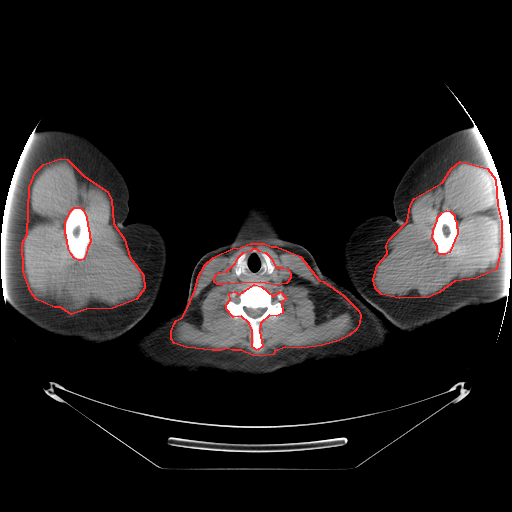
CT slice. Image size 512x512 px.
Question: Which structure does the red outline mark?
Answer: red: muscle.
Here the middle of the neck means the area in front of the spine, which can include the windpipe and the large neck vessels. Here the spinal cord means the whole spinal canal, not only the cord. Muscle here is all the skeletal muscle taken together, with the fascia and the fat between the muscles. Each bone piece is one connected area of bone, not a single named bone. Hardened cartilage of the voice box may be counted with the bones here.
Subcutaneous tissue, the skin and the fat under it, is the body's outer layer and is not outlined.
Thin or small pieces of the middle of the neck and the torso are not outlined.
The muscle appears in 3 outlined pieces: piece 1: [[60,158],[67,159],[84,176],[107,191],[111,200],[113,223],[124,239],[129,256],[143,275],[144,288],[136,299],[112,308],[86,309],[71,314],[60,307],[54,307],[36,299],[30,291],[23,271],[22,242],[27,234],[29,187],[35,172],[43,164]]; inner edge: [[74,207],[80,207],[83,210],[86,217],[88,230],[89,231],[89,237],[90,238],[90,242],[87,247],[86,253],[83,259],[81,260],[78,260],[74,258],[71,254],[68,248],[66,235],[65,234],[65,222],[70,211]]; piece 2: [[250,243],[264,243],[271,246],[276,246],[300,256],[319,280],[323,281],[343,295],[358,310],[360,315],[359,323],[356,329],[349,335],[339,340],[322,345],[301,348],[285,347],[274,351],[273,354],[260,356],[252,355],[241,350],[232,350],[227,348],[221,350],[212,350],[186,347],[174,343],[171,339],[171,331],[174,323],[176,320],[182,317],[188,306],[195,289],[198,276],[205,264],[213,257],[234,247],[237,248]]; inner edges: [[254,284],[261,286],[273,296],[280,291],[286,298],[281,302],[282,313],[276,316],[269,315],[260,323],[259,331],[262,346],[257,350],[252,347],[252,330],[249,323],[241,316],[233,317],[226,309],[226,304],[230,299],[229,293],[234,291],[239,294]], then [[253,248],[256,248],[258,250],[265,252],[271,258],[275,267],[283,267],[288,269],[290,273],[290,278],[286,283],[276,285],[260,282],[223,284],[217,284],[214,282],[214,277],[216,274],[219,272],[226,271],[235,263],[238,257],[243,252],[251,250]]; piece 3: [[460,161],[487,168],[495,179],[497,205],[501,221],[501,245],[496,269],[476,278],[454,281],[439,292],[428,297],[399,298],[381,294],[375,288],[373,279],[377,265],[387,253],[386,245],[389,239],[407,221],[410,205],[414,198],[442,182],[451,168]]; inner edge: [[446,210],[450,211],[454,215],[454,218],[456,223],[456,227],[457,228],[457,233],[449,252],[445,254],[439,254],[437,250],[437,246],[432,238],[432,234],[433,233],[433,230],[437,220],[437,217],[441,213],[441,212]]. The torso is outlined by [[333,280],[363,301],[382,320],[391,334],[385,348],[368,355],[317,364],[303,363],[267,374],[242,375],[166,371],[147,365],[130,354],[131,344],[139,334],[179,309],[186,299],[194,322],[232,356],[245,362],[265,360],[288,348],[318,322],[329,303]]. The bones appear in 5 outlined pieces: piece 1: [[254,284],[261,286],[273,296],[280,291],[286,298],[281,302],[282,313],[276,316],[269,315],[260,323],[259,331],[262,346],[257,350],[252,347],[252,330],[249,323],[241,316],[233,317],[226,309],[226,304],[230,299],[229,293],[234,291],[239,294]], around a hole outlined by [[245,307],[246,307],[247,308],[252,308],[253,309],[256,309],[257,308],[265,308],[265,310],[264,311],[264,312],[261,315],[260,315],[259,316],[258,316],[257,317],[252,317],[251,316],[250,316],[244,310],[244,308]]; piece 2: [[74,207],[80,207],[83,210],[86,217],[88,230],[89,231],[89,237],[90,238],[90,242],[87,247],[86,253],[83,259],[81,260],[78,260],[74,258],[71,254],[68,248],[66,235],[65,234],[65,222],[70,211]]; piece 3: [[446,210],[450,211],[454,215],[454,218],[456,223],[456,227],[457,228],[457,233],[449,252],[445,254],[439,254],[437,250],[437,246],[432,238],[432,234],[433,233],[433,230],[437,220],[437,217],[441,213],[441,212]]; piece 4: [[243,253],[245,255],[245,256],[243,258],[243,261],[241,264],[241,267],[243,270],[243,272],[242,272],[238,276],[235,274],[235,272],[234,271],[234,267],[236,265],[236,263],[237,262],[237,259],[238,258],[238,257],[241,254],[242,254]]; piece 5: [[262,253],[266,253],[269,256],[269,257],[270,258],[270,260],[271,261],[271,262],[274,265],[274,266],[275,267],[275,268],[274,269],[274,270],[271,273],[268,273],[266,271],[266,263],[265,262],[265,259],[264,258],[264,257],[262,255]]. The right arm is outlined by [[35,128],[37,131],[49,128],[69,129],[95,142],[115,163],[127,183],[129,211],[124,222],[128,224],[140,220],[151,223],[165,239],[167,265],[155,303],[132,328],[111,342],[89,344],[48,333],[20,315],[3,298],[0,245],[3,216],[15,169]]. The middle of the neck is outlined by [[253,248],[265,252],[262,252],[261,255],[268,274],[271,274],[276,267],[288,269],[290,278],[286,283],[276,285],[260,282],[223,284],[214,282],[216,274],[226,271],[236,260],[233,267],[234,274],[238,277],[243,273],[242,264],[246,256],[243,252]]. The spinal cord is outlined by [[245,307],[246,307],[247,308],[252,308],[253,309],[256,309],[257,308],[265,308],[265,310],[264,311],[264,312],[261,315],[260,315],[259,316],[258,316],[257,317],[252,317],[251,316],[250,316],[244,310],[244,308]]. The head and neck is outlined by [[252,208],[260,208],[264,216],[284,239],[299,244],[310,252],[321,271],[332,279],[332,289],[323,314],[305,334],[272,356],[257,361],[245,361],[232,355],[221,343],[195,322],[190,313],[187,296],[192,271],[198,260],[208,251],[229,242],[237,233]]. The left arm is outlined by [[473,127],[478,130],[488,148],[505,198],[511,232],[508,292],[497,301],[464,307],[415,331],[400,330],[363,299],[349,281],[340,258],[342,244],[350,231],[370,216],[385,214],[393,220],[395,218],[392,203],[395,188],[421,151],[451,132]].